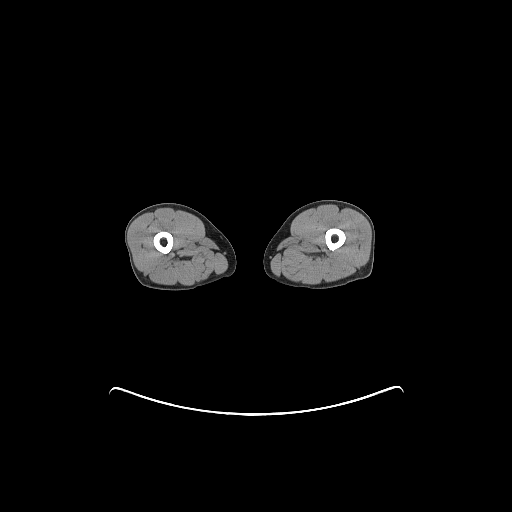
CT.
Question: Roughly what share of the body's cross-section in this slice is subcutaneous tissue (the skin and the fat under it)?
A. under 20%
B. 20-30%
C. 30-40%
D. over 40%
Answer: B. 20-30%
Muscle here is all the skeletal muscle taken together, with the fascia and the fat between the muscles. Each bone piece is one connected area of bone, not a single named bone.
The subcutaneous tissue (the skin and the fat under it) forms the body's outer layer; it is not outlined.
The left leg is outlined by [[322,199],[336,199],[352,203],[364,210],[371,218],[375,229],[375,249],[374,250],[373,268],[370,275],[365,279],[354,281],[343,286],[320,290],[291,287],[278,283],[271,279],[266,275],[263,267],[263,255],[270,239],[285,219],[294,210],[309,202]]. The bones appear in 2 outlined pieces: piece 1: [[332,227],[336,227],[337,228],[339,228],[341,230],[342,230],[346,235],[346,238],[345,239],[344,243],[340,247],[337,248],[335,250],[330,250],[327,247],[326,243],[325,242],[325,237],[324,236],[325,235],[325,232],[329,228],[331,228]]; piece 2: [[159,231],[167,231],[168,232],[169,232],[172,235],[172,236],[173,237],[173,245],[172,246],[172,248],[170,250],[170,251],[166,254],[164,254],[163,253],[160,252],[158,250],[157,250],[155,248],[155,247],[153,244],[153,237],[154,236],[154,235]]. The muscle appears in 2 outlined pieces: piece 1: [[325,203],[336,203],[345,205],[358,211],[368,221],[371,228],[371,247],[367,263],[360,269],[358,269],[355,273],[347,277],[323,284],[298,284],[278,278],[271,271],[270,259],[275,248],[284,238],[288,236],[291,221],[300,212],[305,209],[309,209]] with a hole at [[332,227],[336,227],[337,228],[339,228],[341,230],[342,230],[346,235],[346,238],[345,239],[344,243],[340,247],[337,248],[335,250],[330,250],[327,247],[326,243],[325,242],[325,237],[324,236],[325,235],[325,232],[329,228],[331,228]]; piece 2: [[159,207],[180,207],[201,218],[208,225],[208,233],[221,245],[227,255],[228,262],[227,271],[225,273],[211,276],[204,281],[188,286],[160,285],[147,280],[144,275],[135,266],[133,256],[127,241],[127,232],[128,228],[137,217]]; inner edge: [[159,231],[167,231],[168,232],[169,232],[172,235],[172,236],[173,237],[173,245],[172,246],[172,248],[170,250],[170,251],[166,254],[164,254],[163,253],[160,252],[158,250],[157,250],[155,248],[155,247],[153,244],[153,237],[154,236],[154,235]]. The right leg is outlined by [[161,202],[180,203],[199,211],[224,234],[232,245],[236,256],[236,269],[231,276],[222,278],[212,283],[200,286],[191,290],[182,290],[181,291],[156,290],[145,287],[139,283],[130,265],[129,256],[124,241],[125,227],[129,219],[136,212],[144,207]].